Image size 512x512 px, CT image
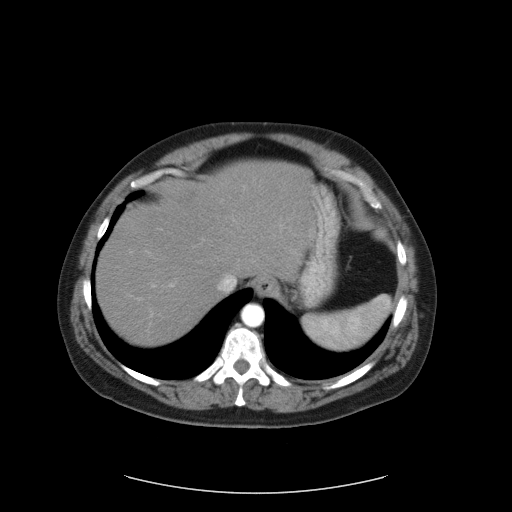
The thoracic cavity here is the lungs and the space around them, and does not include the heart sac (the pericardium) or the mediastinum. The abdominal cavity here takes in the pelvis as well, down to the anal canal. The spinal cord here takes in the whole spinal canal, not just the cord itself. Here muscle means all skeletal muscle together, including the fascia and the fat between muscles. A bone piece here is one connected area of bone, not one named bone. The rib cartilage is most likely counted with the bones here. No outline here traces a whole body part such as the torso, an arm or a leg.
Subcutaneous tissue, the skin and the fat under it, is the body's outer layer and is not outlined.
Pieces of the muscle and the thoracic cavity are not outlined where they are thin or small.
{"abdominal_cavity":[[[256,138],[304,152],[324,172],[353,186],[375,210],[398,262],[398,299],[392,315],[362,347],[333,352],[312,343],[276,301],[247,287],[220,301],[172,343],[144,349],[124,342],[102,315],[95,270],[100,250],[126,204],[150,184],[192,174],[214,151]]],"mediastinum":[[[254,292],[254,293],[259,297],[262,297],[263,296],[262,307],[264,311],[264,324],[263,325],[263,341],[262,342],[259,337],[259,335],[255,331],[245,326],[238,325],[235,327],[230,328],[227,331],[228,327],[234,316],[243,306],[251,300]]],"spinal_cord":[[[239,359],[243,359],[244,360],[245,360],[249,364],[249,367],[247,369],[247,370],[246,371],[245,371],[243,373],[240,373],[239,372],[238,372],[235,369],[235,368],[234,367],[234,364],[235,363],[235,362],[236,362]]],"muscle":[[[230,132],[290,133],[337,150],[362,167],[397,208],[408,226],[413,242],[418,278],[415,300],[418,337],[410,358],[402,368],[361,391],[303,411],[273,412],[244,406],[244,385],[253,378],[262,386],[268,386],[272,381],[282,387],[293,384],[286,376],[318,382],[338,378],[323,384],[321,387],[325,391],[356,381],[376,364],[375,360],[366,360],[382,343],[389,328],[399,325],[408,306],[405,294],[398,298],[398,264],[406,264],[406,249],[400,239],[396,241],[395,247],[376,212],[383,205],[372,188],[354,173],[341,168],[319,167],[304,151],[263,137],[247,139],[214,150],[188,175],[180,168],[165,166],[132,179],[129,182],[131,191],[110,216],[104,217],[97,228],[97,243],[90,276],[81,282],[83,299],[92,314],[97,331],[104,345],[126,373],[155,387],[162,380],[192,378],[194,382],[203,382],[211,378],[214,384],[221,385],[227,378],[231,378],[237,384],[234,405],[202,410],[168,405],[112,375],[80,347],[70,320],[71,299],[83,241],[103,200],[123,178],[155,162],[166,153],[198,140]]],"bones":[{"outer":[[238,326],[258,335],[269,364],[292,384],[282,386],[272,380],[268,385],[262,385],[256,378],[250,378],[243,385],[245,404],[242,406],[234,403],[238,384],[233,378],[227,377],[221,384],[214,383],[211,377],[203,381],[193,380],[214,361],[227,332]],"hole":[[239,359],[243,359],[244,360],[245,360],[249,364],[249,367],[247,369],[247,370],[246,371],[245,371],[243,373],[240,373],[239,372],[238,372],[235,369],[235,368],[234,367],[234,364],[235,363],[235,362],[236,362]]},[[322,167],[327,167],[330,169],[341,169],[344,171],[354,174],[361,178],[371,188],[377,198],[380,201],[382,205],[382,208],[380,209],[372,208],[364,200],[358,188],[355,185],[344,181],[340,178],[332,175],[326,171],[324,171],[320,168]],[[165,167],[174,167],[180,169],[183,171],[186,175],[184,176],[166,175],[162,179],[155,181],[153,183],[150,183],[144,187],[135,190],[132,190],[131,189],[130,187],[130,182],[132,180],[134,180],[144,174]],[[370,361],[375,361],[375,364],[367,372],[356,380],[346,385],[344,385],[337,388],[329,389],[328,390],[325,390],[323,389],[322,387],[323,385],[325,384],[330,384],[336,381],[339,378],[351,372],[357,367],[362,365],[364,363],[366,363]],[[403,294],[405,295],[407,298],[407,306],[406,307],[406,309],[405,310],[404,315],[402,319],[396,327],[394,327],[393,328],[392,327],[390,327],[390,325],[392,321],[392,317],[393,316],[394,311],[396,308],[396,305],[398,302],[398,300],[400,296]],[[120,362],[124,365],[127,366],[129,368],[139,373],[141,373],[144,375],[146,375],[147,376],[149,376],[150,377],[161,380],[160,384],[159,385],[155,386],[151,384],[145,383],[142,381],[140,381],[136,379],[127,372],[126,372],[120,366],[119,364]],[[87,277],[89,277],[90,278],[90,284],[91,285],[91,311],[90,311],[88,309],[88,307],[87,306],[87,305],[86,304],[86,302],[84,299],[84,296],[83,295],[83,288],[82,287],[82,282],[83,281],[83,280],[85,278],[86,278]],[[398,240],[400,240],[401,241],[405,249],[405,254],[406,255],[406,262],[404,265],[402,265],[400,263],[399,263],[398,261],[398,259],[397,258],[397,253],[396,252],[396,245],[397,244],[397,241]],[[107,216],[110,217],[110,219],[109,220],[109,223],[108,224],[108,225],[106,228],[106,230],[104,232],[103,235],[100,238],[100,239],[99,239],[98,240],[97,239],[97,231],[98,230],[98,228],[99,227],[100,224],[105,218],[105,217],[106,217]]],"thoracic_cavity":[[[140,189],[143,194],[128,201],[113,224],[94,270],[97,305],[120,340],[144,350],[167,346],[191,332],[232,294],[247,288],[253,292],[231,319],[213,361],[192,377],[160,379],[124,364],[105,345],[92,313],[90,277],[96,246],[116,207],[130,192]],[[264,298],[273,300],[291,315],[297,321],[302,333],[312,344],[333,353],[348,353],[362,348],[378,333],[389,317],[391,317],[391,321],[381,343],[362,364],[340,377],[320,381],[301,379],[279,372],[270,364],[267,358],[263,345],[265,324]]]}